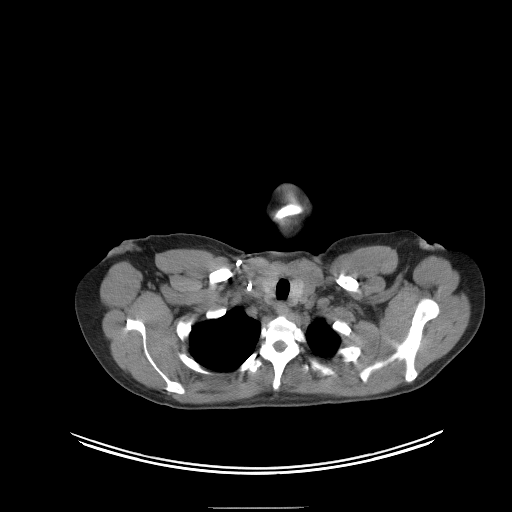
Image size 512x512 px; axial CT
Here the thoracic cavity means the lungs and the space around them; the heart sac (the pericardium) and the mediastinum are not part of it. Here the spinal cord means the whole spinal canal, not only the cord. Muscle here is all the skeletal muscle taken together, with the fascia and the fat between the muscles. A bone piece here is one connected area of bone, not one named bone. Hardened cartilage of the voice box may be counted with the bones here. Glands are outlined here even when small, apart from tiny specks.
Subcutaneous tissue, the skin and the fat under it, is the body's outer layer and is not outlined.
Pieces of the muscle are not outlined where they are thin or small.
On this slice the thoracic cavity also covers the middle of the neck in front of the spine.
Outlines (x, y in pixels):
thoracic cavity 1: 281 272; 295 277; 290 283; 292 306; 302 299; 307 283; 315 287; 309 314; 302 310; 286 316; 268 315; 261 324; 256 349; 234 370; 215 371; 199 363; 189 349; 193 325; 222 317; 243 302; 256 283; 263 300; 270 304; 276 275
thoracic cavity 2: 309 316; 312 317; 322 317; 324 318; 327 323; 330 325; 330 327; 339 336; 340 338; 339 346; 333 354; 327 356; 322 356; 314 353; 310 349; 308 345; 308 341; 305 332; 303 329; 307 324; 309 318; 311 317
torso 1: 399 229; 412 230; 429 243; 436 242; 470 255; 482 273; 485 308; 471 341; 433 379; 396 396; 301 407; 176 409; 147 400; 118 384; 92 353; 76 317; 74 293; 78 282; 125 239; 182 232; 209 236; 246 252; 317 254; 345 236
torso 2: 282 182; 292 182; 300 186; 306 192; 314 204; 314 211; 307 222; 306 227; 303 232; 297 237; 289 240; 285 240; 274 234; 272 231; 273 230; 272 229; 273 228; 272 227; 272 223; 266 217; 264 211; 266 203; 271 192; 278 184
thyroid glands 1: 268 271; 272 271; 276 273; 275 275; 275 281; 274 282; 274 286; 273 287; 273 296; 272 297; 272 299; 270 303; 267 303; 264 300; 263 293; 258 287; 258 285; 257 284; 257 281; 258 279; 260 277; 261 277; 266 272
thyroid glands 2: 296 277; 300 277; 301 278; 302 278; 305 281; 305 282; 306 283; 306 287; 305 288; 304 293; 302 295; 302 297; 301 298; 301 299; 295 305; 292 305; 290 302; 290 294; 291 293; 291 283; 292 282; 292 280; 294 278; 295 278
muscle 1: 369 245; 396 249; 396 272; 407 267; 407 278; 426 256; 449 260; 459 271; 471 302; 464 333; 417 378; 415 360; 424 327; 440 313; 439 304; 430 297; 417 302; 407 333; 394 351; 358 373; 366 383; 373 372; 403 361; 403 377; 409 383; 393 389; 364 396; 272 393; 236 401; 182 403; 122 370; 103 335; 99 287; 117 261; 128 260; 146 281; 154 283; 154 255; 168 249; 328 263; inner edges: 268 271; 315 287; 309 314; 286 317; 302 329; 309 316; 346 322; 351 333; 339 346; 360 347; 358 366; 307 345; 285 365; 274 390; 268 360; 255 372; 209 374; 180 360; 179 352; 191 354; 178 321; 194 324; 210 309; 240 304, then 128 317; 133 319; 139 319; 143 322; 146 334; 146 347; 152 359; 160 370; 171 380; 178 381; 183 386; 185 390; 184 393; 180 394; 170 392; 164 388; 166 385; 165 381; 145 355; 143 349; 142 335; 137 330; 125 329; 126 319, then 310 358; 313 358; 317 360; 320 363; 324 364; 327 366; 329 366; 335 371; 336 374; 335 375; 323 375; 319 371; 313 370; 310 368; 308 370; 305 371; 303 369; 303 367; 302 366; 304 363; 307 363; 308 362; 308 360, then 341 273; 342 273; 345 275; 348 275; 349 276; 351 276; 354 279; 355 279; 357 281; 357 282; 358 283; 358 289; 357 290; 357 291; 350 291; 349 290; 347 290; 346 289; 343 288; 339 284; 338 284; 336 282; 335 279, then 221 267; 226 267; 227 268; 228 268; 233 273; 233 274; 226 280; 223 280; 222 281; 220 281; 219 282; 215 282; 214 283; 211 284; 209 281; 209 274; 211 272; 212 272; 213 271; 214 271; 215 270; 216 270; 217 269; 218 269
muscle 2: 285 190; 293 191; 306 206; 305 213; 301 216; 299 221; 295 224; 294 223; 287 229; 284 229; 278 222; 280 222; 286 217; 299 215; 303 213; 304 207; 300 203; 293 199; 291 201; 281 205; 272 215; 272 211; 279 204; 280 197
spinal cord: 277 341; 282 341; 285 344; 285 347; 284 348; 284 349; 283 350; 282 350; 281 351; 278 351; 277 350; 276 350; 275 349; 275 348; 274 347; 274 344
bones 1: 278 315; 284 315; 303 330; 307 345; 301 353; 291 359; 285 365; 280 378; 279 388; 274 390; 272 387; 274 369; 268 360; 264 359; 262 364; 255 372; 246 370; 240 373; 237 371; 237 369; 257 349; 259 345; 262 324; inner edge: 277 341; 282 341; 285 344; 285 347; 284 348; 284 349; 283 350; 282 350; 281 351; 278 351; 277 350; 276 350; 275 349; 275 348; 274 347; 274 344
bones 2: 422 298; 434 300; 438 304; 439 313; 427 321; 423 327; 414 360; 418 373; 416 378; 407 382; 404 377; 405 362; 395 359; 373 371; 367 381; 363 382; 359 375; 360 371; 377 360; 385 359; 395 351; 396 344; 406 337; 416 306
bones 3: 128 317; 133 319; 139 319; 143 322; 146 334; 146 347; 152 359; 160 370; 171 380; 178 381; 183 386; 185 390; 184 393; 180 394; 170 392; 164 388; 166 385; 165 381; 145 355; 143 349; 142 335; 137 330; 125 329; 126 319
bones 4: 293 200; 297 203; 300 204; 303 207; 303 212; 302 212; 299 214; 295 214; 294 215; 289 215; 288 216; 286 216; 285 217; 284 217; 280 221; 274 221; 272 218; 272 216; 274 214; 274 213; 281 206; 282 206; 289 202; 291 202
bones 5: 351 345; 359 346; 361 349; 361 354; 358 358; 358 362; 359 363; 359 365; 358 366; 355 365; 351 361; 349 361; 348 362; 345 362; 343 361; 342 360; 342 357; 339 355; 337 355; 335 353; 339 347; 346 347; 347 346; 350 346
bones 6: 310 358; 313 358; 317 360; 320 363; 324 364; 327 366; 329 366; 335 371; 336 374; 335 375; 323 375; 319 371; 313 370; 310 368; 308 370; 305 371; 303 369; 303 367; 302 366; 304 363; 307 363; 308 362; 308 360
bones 7: 179 352; 183 352; 184 353; 187 354; 189 356; 191 356; 199 364; 200 364; 204 368; 209 370; 210 371; 210 373; 209 374; 205 374; 204 373; 197 372; 196 371; 191 369; 186 365; 185 365; 180 360; 180 359; 178 356; 178 353
bones 8: 341 273; 342 273; 345 275; 348 275; 349 276; 351 276; 354 279; 355 279; 357 281; 357 282; 358 283; 358 289; 357 290; 357 291; 350 291; 349 290; 347 290; 346 289; 343 288; 339 284; 338 284; 336 282; 335 279
bones 9: 190 319; 192 320; 193 322; 193 324; 191 327; 191 330; 188 336; 188 340; 186 341; 182 341; 180 339; 180 338; 178 336; 176 332; 176 326; 177 325; 177 323; 178 321; 180 320; 182 320; 183 321; 186 321
bones 10: 221 267; 226 267; 227 268; 228 268; 233 273; 233 274; 226 280; 223 280; 222 281; 220 281; 219 282; 215 282; 214 283; 211 284; 209 281; 209 274; 211 272; 212 272; 213 271; 214 271; 215 270; 216 270; 217 269; 218 269
bones 11: 338 319; 339 320; 342 320; 343 321; 344 321; 345 322; 346 322; 348 324; 348 325; 351 328; 351 333; 348 336; 344 336; 343 337; 340 337; 340 336; 331 327; 331 325; 336 320; 337 320
bones 12: 221 307; 225 307; 226 308; 226 311; 225 312; 225 313; 222 316; 221 316; 220 317; 218 317; 217 318; 211 318; 210 319; 207 319; 205 317; 205 314; 208 310; 209 310; 210 309; 213 310; 214 309; 217 309; 218 308; 220 308